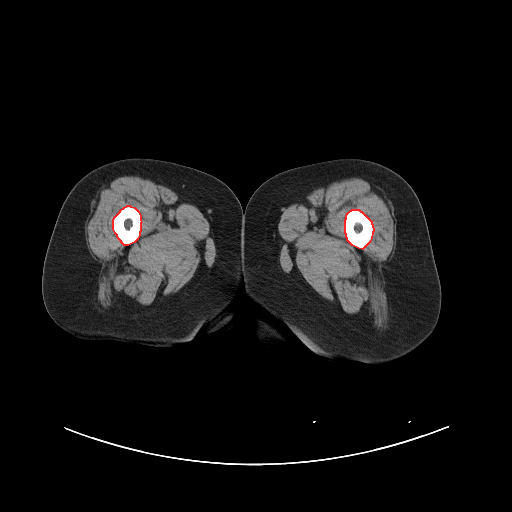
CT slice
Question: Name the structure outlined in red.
Answer: red: bones.
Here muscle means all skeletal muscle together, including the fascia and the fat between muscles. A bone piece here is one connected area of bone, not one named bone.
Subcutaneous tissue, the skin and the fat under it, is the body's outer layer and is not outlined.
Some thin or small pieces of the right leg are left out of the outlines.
{"bones":[[[352,209],[358,209],[360,211],[361,211],[371,221],[371,223],[372,224],[373,231],[372,232],[371,238],[369,242],[362,249],[358,248],[352,245],[347,240],[347,238],[346,237],[346,234],[345,233],[345,219],[346,218],[346,215],[347,213]],[[127,205],[129,205],[130,206],[134,207],[138,211],[140,215],[140,220],[141,222],[140,223],[140,231],[139,232],[139,235],[137,239],[134,242],[128,245],[124,245],[118,238],[117,235],[115,233],[113,229],[113,219],[114,217],[120,211],[120,210]]],"right_leg":[[[135,157],[165,160],[206,172],[224,182],[244,210],[242,273],[245,290],[242,284],[240,287],[233,320],[217,333],[207,333],[203,326],[189,341],[168,347],[115,339],[82,339],[56,324],[45,308],[41,291],[43,263],[67,194],[91,170],[112,161]]],"left_leg":[[[337,158],[360,158],[373,161],[399,174],[417,195],[429,231],[441,285],[440,315],[432,333],[418,347],[387,363],[326,359],[304,344],[286,325],[252,302],[246,290],[243,273],[243,220],[247,202],[253,192],[267,179],[280,172]],[[258,315],[262,315],[264,316],[268,320],[271,321],[283,333],[283,334],[287,339],[287,342],[285,343],[285,345],[283,346],[272,346],[271,345],[267,345],[266,344],[264,344],[260,342],[256,338],[256,336],[255,335],[255,318],[256,316]]],"muscle":[{"outer":[[125,175],[141,176],[169,186],[202,203],[212,210],[216,241],[215,258],[210,268],[206,272],[190,285],[154,308],[136,313],[111,311],[103,309],[98,305],[96,298],[100,275],[87,247],[85,239],[85,223],[87,220],[88,209],[97,188],[117,176]],"hole":[[127,205],[129,205],[130,206],[134,207],[138,211],[140,215],[140,220],[141,222],[140,223],[140,231],[139,232],[139,235],[137,239],[134,242],[128,245],[124,245],[118,238],[117,235],[115,233],[113,229],[113,219],[114,217],[120,211],[120,210]]},{"outer":[[351,176],[368,179],[383,189],[394,208],[397,245],[383,275],[390,307],[390,322],[387,328],[384,331],[380,332],[372,326],[351,315],[346,314],[290,276],[282,269],[277,258],[277,229],[279,214],[282,208],[295,198],[316,188]],"hole":[[352,209],[358,209],[360,211],[361,211],[371,221],[371,223],[372,224],[373,231],[372,232],[371,238],[369,242],[362,249],[358,248],[352,245],[347,240],[347,238],[346,237],[346,234],[345,233],[345,219],[346,218],[346,215],[347,213]]}]}